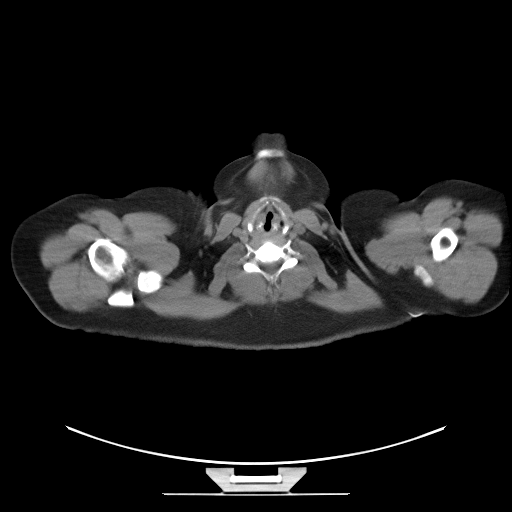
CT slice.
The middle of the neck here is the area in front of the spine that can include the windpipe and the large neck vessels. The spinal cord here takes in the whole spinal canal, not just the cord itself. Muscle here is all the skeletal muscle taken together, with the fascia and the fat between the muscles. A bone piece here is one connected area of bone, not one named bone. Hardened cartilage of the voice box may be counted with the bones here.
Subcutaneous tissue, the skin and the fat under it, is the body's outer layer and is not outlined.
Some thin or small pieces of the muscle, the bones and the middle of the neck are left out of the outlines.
{"spinal_cord":[[[278,261],[280,261],[280,264],[279,265],[279,266],[278,267],[278,268],[276,270],[276,271],[275,272],[274,272],[273,273],[268,273],[267,272],[266,272],[261,267],[261,266],[260,265],[260,264],[265,264],[266,263],[272,263],[273,262],[277,262]]],"muscle":[{"outer":[[263,140],[278,140],[307,174],[311,186],[304,205],[327,222],[356,271],[387,299],[384,307],[339,313],[298,299],[246,304],[221,318],[195,320],[133,307],[133,290],[127,286],[107,297],[111,306],[89,311],[67,310],[54,300],[38,253],[46,236],[66,229],[78,212],[92,207],[119,216],[151,211],[177,224],[171,239],[187,260],[222,214],[240,201],[230,191],[230,178],[254,155],[284,155],[275,147],[256,152]],"holes":[[[264,196],[279,199],[277,203],[291,227],[287,235],[272,240],[282,245],[290,239],[290,246],[299,252],[297,263],[283,270],[274,283],[257,272],[246,272],[242,266],[242,257],[247,251],[245,244],[257,248],[263,241],[247,235],[246,226]],[[99,237],[108,238],[112,242],[125,249],[129,255],[130,260],[124,266],[124,270],[125,271],[124,274],[122,277],[117,281],[107,281],[104,278],[98,275],[93,270],[90,264],[88,258],[88,255],[87,254],[87,249],[90,244],[93,242],[96,238]],[[152,269],[158,271],[163,275],[164,277],[164,279],[163,280],[162,285],[159,289],[158,289],[154,292],[152,292],[151,293],[145,293],[144,292],[142,292],[140,291],[136,287],[135,285],[135,278],[138,274],[138,273],[141,270],[151,270]]]},{"outer":[[440,196],[462,200],[467,210],[483,208],[494,212],[499,215],[503,225],[502,239],[495,249],[498,265],[496,274],[485,295],[475,303],[453,300],[388,274],[369,262],[363,251],[366,242],[381,234],[379,225],[383,218],[406,211],[419,213],[429,201]],"hole":[[447,226],[448,227],[452,228],[452,229],[457,234],[458,236],[457,245],[454,250],[451,253],[451,254],[447,258],[440,262],[436,262],[434,261],[432,258],[432,253],[431,252],[431,249],[430,248],[430,241],[432,237],[442,227],[446,227]]}],"head_and_neck":[[[261,131],[284,133],[291,143],[291,149],[317,165],[331,188],[326,206],[339,228],[338,286],[329,318],[318,336],[319,346],[316,347],[252,350],[231,337],[209,299],[202,227],[209,198],[210,202],[214,200],[212,180],[222,167],[247,153],[249,142]]],"torso":[[[151,185],[175,185],[182,188],[190,188],[195,192],[201,191],[203,195],[208,198],[208,208],[202,220],[201,227],[203,270],[208,299],[230,337],[251,350],[192,347],[75,330],[105,312],[122,297],[131,285],[141,255],[141,243],[139,231],[120,196]],[[339,221],[343,230],[343,237],[345,243],[354,254],[354,256],[372,283],[387,300],[393,304],[410,322],[393,329],[362,334],[351,338],[341,339],[320,346],[319,336],[328,323],[332,312],[332,307],[334,304],[337,288],[339,286],[340,273]]],"left_arm":[[[445,178],[471,180],[499,188],[502,191],[509,225],[508,294],[497,308],[481,316],[473,318],[458,318],[450,315],[419,316],[410,321],[373,283],[346,243],[344,230],[338,218],[339,200],[347,192],[364,187],[387,188],[405,200],[416,196],[433,182]]],"right_arm":[[[76,192],[93,192],[109,198],[119,196],[138,231],[140,243],[140,255],[130,285],[121,297],[105,311],[91,318],[74,330],[71,330],[53,324],[37,310],[21,288],[13,274],[10,264],[9,248],[11,237],[16,226],[26,215],[59,198]]],"bones":[{"outer":[[266,239],[271,239],[278,245],[282,245],[290,239],[290,246],[299,252],[296,256],[297,263],[293,267],[283,270],[274,283],[270,283],[257,272],[246,272],[242,266],[244,262],[242,257],[247,251],[245,244],[247,243],[253,248],[257,248],[263,240]],"hole":[[278,261],[280,261],[280,264],[279,265],[279,266],[278,267],[278,268],[276,270],[276,271],[275,272],[274,272],[273,273],[268,273],[267,272],[266,272],[261,267],[261,266],[260,265],[260,264],[265,264],[266,263],[272,263],[273,262],[277,262]]},[[99,237],[108,238],[112,242],[125,249],[129,255],[130,260],[124,266],[124,270],[125,271],[124,274],[122,277],[117,281],[107,281],[104,278],[98,275],[93,270],[90,264],[88,258],[88,255],[87,254],[87,249],[90,244],[93,242],[96,238]],[[447,226],[448,227],[452,228],[452,229],[457,234],[458,236],[457,245],[454,250],[451,253],[451,254],[447,258],[440,262],[436,262],[434,261],[432,258],[432,253],[431,252],[431,249],[430,248],[430,241],[432,237],[442,227],[446,227]],[[152,269],[158,271],[163,275],[164,277],[164,279],[163,280],[162,285],[159,289],[158,289],[154,292],[152,292],[151,293],[145,293],[144,292],[142,292],[140,291],[136,287],[135,285],[135,278],[138,274],[138,273],[141,270],[151,270]],[[120,287],[127,287],[128,288],[131,288],[132,290],[132,296],[134,300],[134,305],[132,307],[117,307],[116,306],[112,306],[110,305],[107,302],[107,299],[108,297],[114,291],[114,290]],[[263,148],[275,148],[276,149],[279,149],[280,150],[282,150],[284,153],[283,154],[283,155],[282,155],[281,156],[273,156],[272,157],[261,157],[260,158],[256,158],[256,157],[255,156],[255,155],[256,154],[256,153],[259,150],[260,150]],[[278,207],[280,207],[282,208],[282,209],[285,212],[286,214],[286,216],[288,219],[288,221],[290,224],[290,226],[285,234],[283,234],[282,233],[282,231],[283,230],[283,226],[284,225],[284,220],[282,218],[282,216],[280,212],[278,210]],[[257,207],[261,207],[261,209],[256,214],[256,215],[255,216],[255,217],[252,220],[252,231],[251,232],[249,232],[248,231],[248,230],[247,229],[247,222],[248,221],[248,220],[249,219],[249,218],[250,217],[250,216],[253,213],[253,212],[257,208]]],"middle_of_the_neck":[[[269,200],[277,202],[280,206],[277,207],[277,210],[283,220],[281,233],[285,235],[290,227],[291,230],[287,235],[277,239],[260,239],[250,237],[247,235],[247,230],[249,233],[253,231],[253,220],[262,209],[261,206],[258,206],[262,202],[268,202]]]}